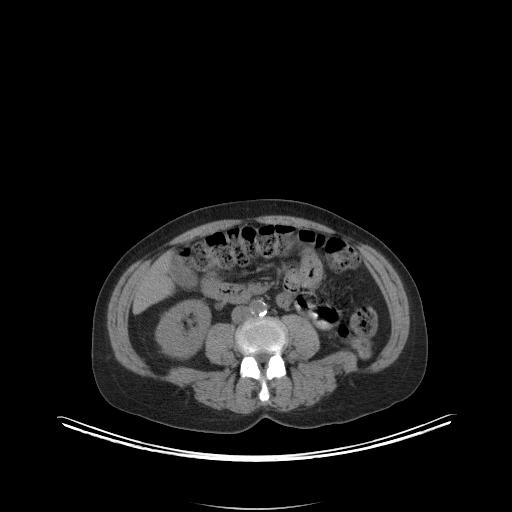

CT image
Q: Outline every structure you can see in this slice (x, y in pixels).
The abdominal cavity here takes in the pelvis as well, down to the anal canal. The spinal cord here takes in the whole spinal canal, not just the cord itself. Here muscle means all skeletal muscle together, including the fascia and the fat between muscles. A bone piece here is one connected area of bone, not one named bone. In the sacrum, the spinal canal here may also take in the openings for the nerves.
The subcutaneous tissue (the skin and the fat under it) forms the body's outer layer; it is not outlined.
A: Outlined structures:
muscle: 262 215; 290 215; 291 216; 309 219; 324 224; 350 237; 361 240; 365 244; 367 244; 377 250; 382 254; 386 259; 387 259; 397 272; 403 284; 408 299; 408 304; 409 305; 410 323; 409 324; 408 337; 404 345; 404 347; 398 357; 390 365; 378 372; 375 373; 366 373; 365 374; 362 373; 351 373; 349 375; 347 375; 344 380; 332 394; 322 402; 316 405; 307 407; 306 408; 300 408; 299 409; 295 409; 289 411; 277 411; 273 407; 270 406; 267 407; 261 406; 258 409; 256 409; 248 414; 236 413; 224 409; 222 410; 217 410; 211 407; 203 405; 193 399; 184 389; 181 387; 179 387; 177 385; 168 383; 167 382; 160 382; 148 377; 141 376; 124 367; 115 358; 113 350; 111 347; 110 339; 109 338; 108 330; 107 329; 107 309; 108 308; 108 304; 112 292; 121 275; 126 269; 134 262; 156 249; 167 241; 170 240; 177 235; 201 224; 207 223; 211 221; 220 220; 221 219; 238 219; 239 218; 246 218; 247 217; 261 216 with a hole at 247 221; 297 225; 342 237; 356 247; 383 296; 390 321; 389 337; 373 361; 359 366; 358 356; 348 349; 313 358; 320 349; 318 332; 305 317; 288 313; 280 319; 287 331; 281 352; 286 373; 266 381; 267 401; 258 397; 258 380; 240 375; 244 355; 235 340; 236 327; 230 322; 214 323; 205 336; 204 354; 215 368; 172 364; 162 374; 151 369; 129 335; 130 306; 138 282; 163 250
torso: 253 198; 294 199; 328 209; 378 237; 402 261; 418 288; 428 334; 426 371; 409 397; 344 423; 304 429; 263 418; 247 430; 232 434; 171 427; 122 411; 102 397; 91 367; 92 317; 101 285; 117 260; 144 236; 181 214; 206 205
abdominal cavity: 247 221; 297 225; 356 247; 390 321; 389 337; 373 361; 359 366; 348 349; 313 358; 320 349; 318 332; 305 317; 288 313; 248 318; 236 328; 214 323; 204 340; 213 369; 178 364; 162 374; 151 369; 129 335; 138 282; 163 250
spinal cord: 259 352; 267 352; 268 353; 271 353; 272 354; 269 357; 269 358; 268 359; 268 360; 267 361; 267 362; 265 364; 262 364; 261 365; 259 365; 259 364; 258 363; 258 362; 254 357; 254 354; 255 354; 256 353; 258 353
bones: 259 316; 278 318; 284 324; 287 331; 287 343; 281 352; 286 373; 281 377; 274 377; 266 381; 269 392; 267 401; 261 401; 258 397; 261 388; 261 384; 258 380; 240 375; 239 368; 244 355; 235 340; 236 329; 244 321 with a hole at 259 352; 267 352; 268 353; 271 353; 272 354; 269 357; 269 358; 268 359; 268 360; 267 361; 267 362; 265 364; 262 364; 261 365; 259 365; 259 364; 258 363; 258 362; 254 357; 254 354; 255 354; 256 353; 258 353